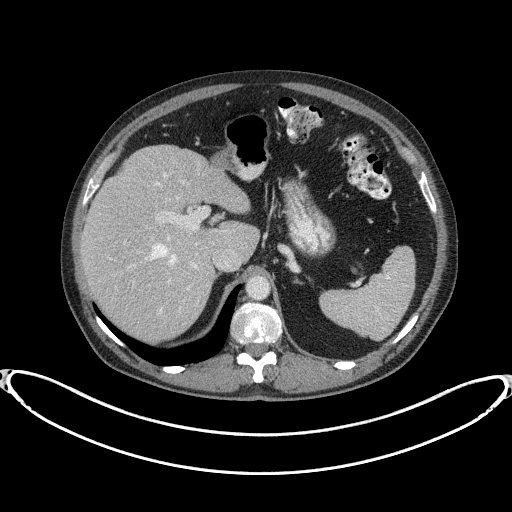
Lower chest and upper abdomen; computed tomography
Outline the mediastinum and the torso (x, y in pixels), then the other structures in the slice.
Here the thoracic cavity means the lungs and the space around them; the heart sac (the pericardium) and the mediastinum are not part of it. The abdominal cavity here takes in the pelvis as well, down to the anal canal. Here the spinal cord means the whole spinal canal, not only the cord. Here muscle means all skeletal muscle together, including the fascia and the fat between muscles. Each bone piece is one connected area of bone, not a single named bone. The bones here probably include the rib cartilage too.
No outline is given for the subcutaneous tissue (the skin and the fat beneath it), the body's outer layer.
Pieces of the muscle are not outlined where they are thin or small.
mediastinum: [[234,310],[243,302],[246,301],[258,301],[263,303],[267,303],[272,305],[274,307],[273,305],[273,295],[271,291],[271,286],[269,283],[269,280],[265,276],[262,276],[261,274],[252,274],[246,278],[241,284],[241,288],[238,292],[236,298],[236,303]]
torso: [[238,401],[324,397],[388,376],[417,352],[453,293],[458,270],[456,215],[426,141],[391,103],[337,77],[293,69],[241,69],[201,75],[155,91],[127,108],[106,129],[84,162],[66,204],[60,240],[62,287],[78,326],[97,356],[111,368],[163,389]]
bones 1: [[256,383],[263,381],[261,371],[266,364],[276,364],[277,360],[273,346],[282,335],[282,321],[277,311],[272,306],[258,302],[246,302],[234,311],[230,323],[229,335],[236,342],[236,348],[240,349],[236,357],[237,363],[248,364],[254,369],[252,378]] with a hole at [[256,358],[257,358],[258,357],[261,356],[268,349],[268,346],[267,345],[267,344],[266,344],[265,343],[262,343],[261,344],[255,344],[254,343],[250,343],[249,344],[248,344],[245,346],[245,350],[247,352],[248,352],[253,357],[255,357]]
bones 2: [[83,206],[86,206],[87,205],[94,192],[99,186],[99,184],[103,175],[110,166],[111,160],[115,154],[118,152],[118,150],[113,151],[107,155],[102,160],[94,172],[93,175],[89,179],[84,195],[83,196],[83,199],[82,200],[82,205]]
bones 3: [[434,218],[434,216],[436,213],[436,204],[435,203],[434,198],[432,195],[432,193],[430,190],[430,188],[428,184],[428,181],[425,175],[425,173],[422,170],[420,171],[420,176],[418,179],[418,184],[424,196],[424,198],[428,205],[430,212],[432,214]]
bones 4: [[393,344],[396,343],[412,328],[413,325],[415,323],[415,322],[418,318],[418,312],[417,311],[416,311],[412,315],[412,316],[408,320],[408,321],[405,324],[405,325],[400,330],[400,331],[397,334],[397,335],[392,340],[392,341],[391,342]]
bones 5: [[123,347],[125,347],[126,345],[123,342],[122,342],[106,326],[106,325],[102,321],[102,320],[99,317],[99,316],[97,314],[95,314],[94,316],[95,317],[95,319],[97,323],[99,325],[99,326],[102,329],[102,330],[116,343],[117,343],[119,345]]
bones 6: [[339,369],[349,369],[350,368],[351,368],[352,367],[353,367],[354,366],[355,366],[356,365],[356,363],[355,362],[355,361],[354,360],[338,360],[337,361],[336,361],[333,364],[333,365],[336,368],[338,368]]
bones 7: [[168,373],[178,373],[179,372],[180,372],[181,371],[182,371],[183,370],[184,370],[185,369],[185,367],[183,365],[174,365],[173,366],[162,366],[162,370],[163,370],[165,372],[167,372]]
bones 8: [[409,163],[414,163],[415,162],[416,162],[416,158],[414,156],[414,155],[412,153],[412,152],[409,149],[408,149],[406,147],[403,146],[401,148],[401,149],[402,150],[402,151],[405,154],[405,155],[406,156],[406,158],[408,160]]
abdominal cavity: [[335,359],[360,357],[393,338],[415,311],[433,270],[434,221],[390,136],[331,102],[270,85],[190,103],[134,133],[90,200],[80,236],[86,286],[105,317],[142,343],[177,347],[207,334],[231,290],[250,274],[261,273],[270,280],[287,342],[309,355]]
spinal cord: [[256,358],[257,358],[258,357],[261,356],[268,349],[268,346],[267,345],[267,344],[266,344],[265,343],[262,343],[261,344],[255,344],[254,343],[250,343],[249,344],[248,344],[245,346],[245,350],[247,352],[248,352],[253,357],[255,357]]
thoracic cavity: [[158,365],[173,365],[196,362],[217,353],[227,338],[228,328],[233,312],[235,298],[240,288],[240,285],[236,286],[228,296],[214,327],[207,335],[193,343],[169,350],[157,350],[128,337],[112,325],[93,304],[96,313],[122,341],[136,353],[145,359]]
muscle: [[286,393],[317,391],[359,379],[400,353],[414,338],[430,312],[446,264],[448,236],[441,200],[430,168],[418,149],[386,117],[357,99],[301,82],[222,83],[196,88],[148,109],[109,141],[86,175],[72,219],[74,278],[83,313],[106,346],[123,361],[149,375],[170,384],[213,392],[231,392],[255,383],[251,378],[253,369],[236,363],[239,349],[235,348],[236,344],[229,336],[214,356],[186,364],[186,369],[178,374],[168,374],[161,370],[161,366],[145,360],[127,346],[123,348],[116,344],[94,319],[95,312],[79,257],[79,236],[86,209],[81,205],[82,196],[88,179],[101,160],[118,149],[112,163],[128,138],[151,120],[190,102],[241,86],[270,84],[305,92],[381,126],[391,136],[398,153],[415,177],[418,178],[422,169],[426,173],[437,204],[434,219],[436,260],[430,283],[416,310],[419,318],[413,328],[396,344],[390,340],[377,350],[355,359],[357,365],[349,370],[336,369],[332,364],[337,360],[312,357],[294,349],[286,342],[283,333],[274,346],[277,364],[263,368],[264,381],[261,383]]; inner edge: [[409,163],[414,163],[415,162],[416,162],[416,158],[414,156],[414,155],[412,153],[412,152],[409,149],[408,149],[406,147],[403,146],[401,148],[401,149],[402,150],[402,151],[405,154],[405,155],[406,156],[406,158],[408,160]]